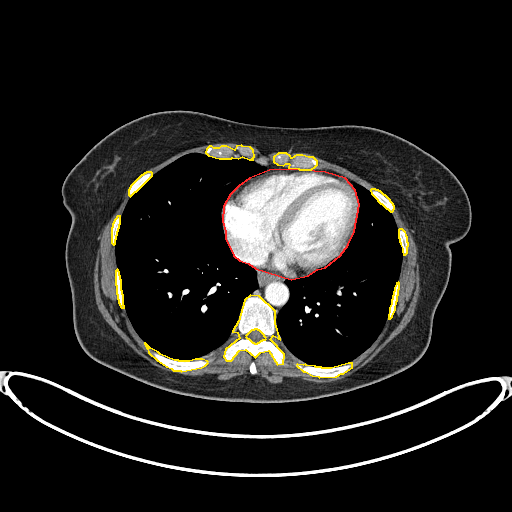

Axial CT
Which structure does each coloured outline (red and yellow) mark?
red: pericardium; yellow: bones.
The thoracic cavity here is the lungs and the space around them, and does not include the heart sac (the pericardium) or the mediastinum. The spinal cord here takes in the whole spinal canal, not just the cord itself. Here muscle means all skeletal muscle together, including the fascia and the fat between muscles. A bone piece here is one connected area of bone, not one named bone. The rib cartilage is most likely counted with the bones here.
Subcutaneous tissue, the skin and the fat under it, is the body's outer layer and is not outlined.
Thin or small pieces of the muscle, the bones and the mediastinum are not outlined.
pericardium: 291,279 308,275 317,269 325,267 340,255 348,244 354,231 359,204 355,190 345,178 325,172 293,169 269,170 249,178 238,186 230,194 223,206 222,221 225,231 225,238 233,255 239,260 248,263 255,268
bones 1: 277,364 283,363 284,354 270,339 273,335 280,339 275,323 275,311 259,296 250,295 244,300 238,321 232,331 237,332 239,338 225,349 223,356 226,360 231,360 239,350 245,349 255,357 260,352 268,350 with a hole at 254,343 257,343 258,342 259,342 261,340 262,340 263,339 265,339 266,338 264,336 264,335 259,330 258,330 257,329 254,329 253,330 251,330 245,336 247,338 248,338 252,342 253,342
bones 2: 181,371 201,367 205,365 208,362 207,361 202,359 195,359 189,361 179,361 178,360 174,360 160,354 158,352 150,348 145,343 144,343 147,348 148,352 157,360 166,366 171,368 173,370 180,370
bones 3: 249,159 253,159 252,158 254,156 253,150 250,147 242,146 241,145 236,146 234,150 226,146 221,146 218,148 214,148 211,146 209,146 206,149 205,152 208,155 219,158 231,158 232,157 238,158 242,156
bones 4: 299,169 311,169 315,166 317,164 317,161 313,157 308,157 302,155 296,155 291,158 290,156 286,153 278,153 273,157 273,161 277,164 283,165 286,163 288,163 289,164 288,167 298,168
bones 5: 319,377 336,376 341,373 343,373 352,367 352,363 348,363 331,368 322,368 321,367 316,367 315,366 306,365 305,364 303,365 297,364 296,365 303,371 305,371 312,375 318,376
bones 6: 390,211 392,211 394,208 394,206 393,205 393,204 390,201 390,200 385,195 384,195 380,191 379,191 378,190 376,190 375,189 371,189 370,190 371,193 377,199 377,200 380,203 381,203 386,208 387,208
bones 7: 130,196 135,191 136,191 152,175 152,173 151,172 146,172 145,173 144,173 142,175 141,175 130,186 130,187 129,188 129,189 128,190 128,194
bones 8: 121,307 124,307 124,306 123,305 123,295 122,294 122,291 121,290 121,280 120,279 120,276 119,275 119,272 117,269 115,271 115,284 116,285 116,293 117,294 117,298 118,299 118,302 119,303 119,304
bones 9: 388,318 390,318 392,316 395,309 396,301 397,300 397,295 398,294 398,289 399,288 399,283 398,282 396,283 394,288 394,291 393,292 393,295 392,296 392,299 391,300 391,303 389,308
bones 10: 403,254 405,254 407,252 407,246 408,245 408,243 407,242 407,237 406,236 406,234 405,232 402,229 399,229 398,230 398,237 399,238 399,241 400,242 400,244 402,248 402,252
bones 11: 113,244 114,244 115,243 115,239 116,238 116,235 117,234 117,231 118,230 118,228 119,227 119,224 120,223 120,216 117,216 116,217 116,218 114,220 114,221 112,224 112,227 111,228 111,242
spinal cord: 254,343 257,343 258,342 259,342 261,340 262,340 263,339 265,339 266,338 264,336 264,335 259,330 258,330 257,329 254,329 253,330 251,330 245,336 247,338 248,338 252,342 253,342
muscle 1: 270,383 280,383 284,377 299,377 312,382 328,382 341,379 368,363 410,321 415,311 420,290 417,246 397,208 395,206 391,212 397,228 402,228 406,232 409,245 408,252 402,258 398,278 400,288 396,309 393,316 387,319 375,341 358,357 348,362 353,363 352,368 336,377 319,378 312,376 295,365 305,363 292,354 275,336 271,339 285,354 285,361 282,365 275,364 271,353 268,351 262,352 254,358 247,351 241,350 231,361 226,361 222,353 229,344 238,338 238,334 235,333 231,334 222,345 198,358 209,362 205,366 181,372 166,367 147,352 144,342 133,328 124,308 121,308 117,302 114,284 114,271 117,265 115,248 110,242 110,228 115,217 122,215 129,198 127,190 106,223 97,250 94,268 94,292 97,307 105,321 136,353 165,371 184,375 216,374 217,378 224,380 248,374 248,366 253,360 258,371 256,375
muscle 2: 368,190 371,188 375,188 380,190 367,180 346,168 329,162 310,153 294,152 289,150 285,152 284,151 276,151 264,154 255,146 246,144 240,144 235,142 213,143 194,147 179,152 149,168 144,172 151,171 154,174 177,158 191,152 205,153 204,152 205,149 209,145 214,147 226,145 234,149 236,145 238,144 241,144 242,145 250,146 254,150 255,155 253,158 254,159 261,156 265,158 267,161 271,162 273,162 272,157 278,152 286,152 291,157 296,154 313,156 318,161 318,164 312,169 324,169 331,171 332,173 334,174 335,173 336,175 345,177 346,179 349,179 362,185
mediastinum: 276,315 277,312 286,303 289,296 289,290 285,283 285,280 286,278 284,278 280,276 277,276 270,273 267,273 266,272 255,269 257,272 258,287 251,294 253,294 254,295 259,295 262,297 276,311 275,313
thoracic cavity 1: 179,360 197,358 222,344 235,326 243,300 257,287 254,268 239,261 230,252 221,221 222,206 229,194 249,177 265,170 253,160 219,159 198,153 185,155 153,175 135,192 121,217 115,247 127,314 150,347
thoracic cavity 2: 322,367 343,364 358,356 374,341 387,318 393,288 400,269 402,253 391,213 369,191 357,184 355,188 359,195 359,214 355,231 346,249 325,268 308,276 287,279 290,296 276,316 278,332 287,348 306,363
torso: 254,403 335,395 414,364 429,344 434,312 447,285 449,245 470,227 468,196 438,159 406,139 373,127 266,126 188,110 138,117 96,143 62,185 63,201 72,216 65,259 76,337 92,359 149,385 193,397